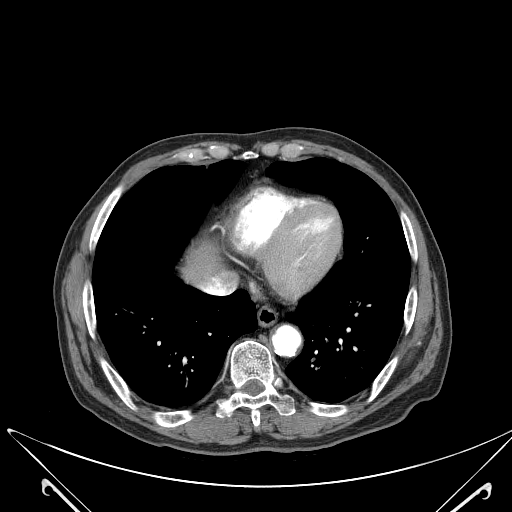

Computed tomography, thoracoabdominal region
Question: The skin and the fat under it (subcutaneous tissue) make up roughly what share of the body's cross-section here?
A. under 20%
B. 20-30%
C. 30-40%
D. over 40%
Answer: A. under 20%
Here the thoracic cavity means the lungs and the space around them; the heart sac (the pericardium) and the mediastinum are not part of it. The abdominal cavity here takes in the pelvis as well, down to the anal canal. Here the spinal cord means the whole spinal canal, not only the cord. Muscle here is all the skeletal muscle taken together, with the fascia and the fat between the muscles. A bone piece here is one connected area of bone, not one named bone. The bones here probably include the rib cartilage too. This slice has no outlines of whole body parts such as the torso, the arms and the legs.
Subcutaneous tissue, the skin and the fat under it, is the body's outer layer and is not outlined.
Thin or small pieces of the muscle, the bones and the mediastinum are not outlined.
The thoracic cavity appears in 2 outlined pieces: piece 1: 228 158; 246 166; 227 195; 211 203; 173 269; 186 285; 211 295; 245 290; 254 304; 257 325; 229 346; 217 379; 221 384; 213 395; 189 408; 151 410; 135 400; 98 334; 91 280; 96 247; 122 195; 148 173; 167 165; 208 167; piece 2: 313 156; 345 163; 364 173; 385 192; 398 214; 410 258; 402 327; 389 359; 369 388; 337 403; 306 399; 291 391; 283 372; 301 353; 305 340; 300 327; 285 316; 294 312; 343 258; 344 227; 328 197; 286 185; 265 170; 276 161. The spinal cord is outlined by 250 380; 257 380; 258 381; 259 381; 262 384; 262 385; 263 386; 263 388; 262 389; 262 390; 260 392; 259 392; 255 395; 252 395; 251 394; 249 394; 248 393; 245 392; 243 390; 243 386; 246 383; 246 382; 247 382. The bones appear in 10 outlined pieces: piece 1: 246 338; 254 339; 268 348; 295 399; 295 412; 286 416; 280 415; 270 404; 262 406; 259 409; 260 424; 256 429; 250 409; 245 406; 236 408; 229 417; 215 415; 217 406; 214 401; 230 393; 224 383; 218 382; 227 352; 232 344; inner edge: 250 380; 257 380; 258 381; 259 381; 262 384; 262 385; 263 386; 263 388; 262 389; 262 390; 260 392; 259 392; 255 395; 252 395; 251 394; 249 394; 248 393; 245 392; 243 390; 243 386; 246 383; 246 382; 247 382; piece 2: 273 141; 303 145; 303 153; 293 160; 282 160; 278 156; 262 154; 246 160; 230 156; 220 160; 209 158; 195 163; 172 158; 173 154; 181 150; 206 148; 210 145; 224 146; 233 156; 237 156; 245 150; 259 151; 262 146; piece 3: 119 183; 123 183; 124 184; 125 189; 113 207; 107 218; 107 220; 102 229; 102 231; 97 241; 97 243; 95 247; 95 250; 93 252; 90 252; 89 250; 89 238; 90 237; 91 230; 95 221; 95 219; 97 216; 97 214; 109 193; piece 4: 100 356; 103 356; 110 363; 110 364; 116 370; 119 375; 124 380; 124 381; 127 384; 128 387; 133 392; 132 394; 133 400; 137 405; 138 407; 138 410; 135 411; 126 405; 112 388; 106 376; 104 374; 98 361; 98 357; piece 5: 87 278; 89 278; 91 281; 91 285; 93 291; 93 301; 95 306; 95 318; 96 319; 96 331; 97 332; 97 337; 95 340; 90 336; 88 332; 88 328; 87 327; 87 324; 86 323; 86 320; 83 311; 82 288; 83 287; 83 284; piece 6: 180 409; 191 409; 192 410; 192 412; 195 415; 195 416; 191 420; 173 427; 165 427; 164 426; 161 426; 157 424; 150 417; 150 413; 151 411; 154 411; 155 410; 160 410; 161 411; 172 411; 173 410; 179 410; piece 7: 395 355; 398 355; 399 356; 399 358; 398 359; 397 364; 393 372; 391 374; 389 379; 387 381; 383 388; 379 392; 379 393; 369 403; 365 403; 365 401; 369 395; 369 393; 370 392; 370 387; 373 381; 387 363; 387 362; 393 356; piece 8: 308 400; 315 401; 320 403; 325 403; 326 404; 337 404; 338 403; 344 403; 347 405; 348 407; 348 411; 342 415; 340 415; 339 416; 333 416; 332 417; 317 415; 312 412; 310 412; 308 410; 308 404; 307 403; 307 401; piece 9: 411 285; 415 285; 416 287; 417 290; 417 303; 416 304; 413 322; 408 333; 405 335; 404 334; 404 328; 403 327; 403 316; 404 315; 404 309; 405 308; 405 302; 406 301; 407 294; 409 290; 409 287; piece 10: 401 210; 403 210; 408 216; 410 220; 412 228; 413 229; 414 235; 415 236; 416 246; 417 247; 417 261; 415 263; 411 260; 410 254; 409 253; 408 247; 407 246; 407 243; 406 242; 406 239; 404 235; 402 224; 400 220; 399 212. The abdominal cavity is outlined by 200 228; 205 228; 205 239; 207 240; 207 251; 209 252; 211 259; 221 264; 223 267; 217 269; 207 277; 201 277; 198 280; 197 287; 196 287; 186 284; 180 279; 176 274; 174 268; 185 248; 190 242; 191 238; 197 233. The mediastinum appears in 2 outlined pieces: piece 1: 222 268; 231 268; 243 276; 258 297; 267 296; 284 306; 295 306; 302 300; 284 316; 299 327; 304 340; 300 353; 283 371; 263 343; 251 337; 233 343; 240 336; 254 332; 258 325; 255 304; 245 289; 218 295; 198 287; 201 278; piece 2: 261 155; 266 157; 278 157; 281 160; 272 162; 264 170; 267 176; 276 178; 286 186; 314 193; 286 189; 264 177; 254 179; 217 212; 209 227; 206 229; 205 227; 201 227; 212 203; 219 204; 232 190; 247 166; 245 161; 255 159. The pericardium is outlined by 264 178; 286 190; 326 198; 335 206; 343 227; 341 258; 318 285; 295 305; 284 305; 267 295; 266 297; 258 296; 252 291; 243 275; 239 273; 238 275; 231 267; 224 267; 212 259; 208 251; 206 230; 212 225; 218 212; 254 180. The muscle appears in 2 outlined pieces: piece 1: 279 139; 330 145; 363 159; 413 211; 439 293; 443 335; 433 367; 382 407; 318 437; 278 439; 254 432; 235 444; 193 443; 161 434; 120 415; 92 396; 77 378; 61 302; 68 263; 87 220; 106 196; 88 238; 88 250; 94 254; 91 279; 87 277; 82 284; 81 303; 87 332; 94 341; 99 336; 109 359; 98 356; 99 366; 111 388; 131 410; 139 410; 135 401; 150 410; 149 417; 157 425; 173 428; 191 421; 196 415; 190 408; 213 396; 224 384; 229 393; 213 401; 214 415; 229 418; 236 409; 245 407; 256 430; 261 424; 260 409; 265 405; 273 407; 280 416; 296 412; 296 399; 291 392; 307 400; 310 413; 332 418; 346 414; 349 407; 343 402; 366 389; 369 392; 364 403; 369 404; 390 379; 400 358; 398 354; 391 357; 392 352; 402 328; 405 336; 409 333; 418 303; 417 287; 410 285; 411 261; 418 261; 411 220; 403 209; 398 213; 373 179; 346 163; 342 156; 298 158; 305 146; 289 141; 280 143; 274 140; piece 2: 205 140; 217 140; 218 141; 236 143; 247 148; 257 141; 272 141; 267 142; 262 145; 259 148; 259 150; 245 149; 237 155; 233 155; 232 151; 228 147; 221 144; 210 144; 206 147; 191 147; 181 149; 173 153; 171 155; 171 158; 182 163; 167 164; 153 169; 144 175; 129 189; 124 192; 126 189; 125 184; 123 182; 119 182; 119 181; 123 174; 133 164; 148 157; 165 153; 188 144.